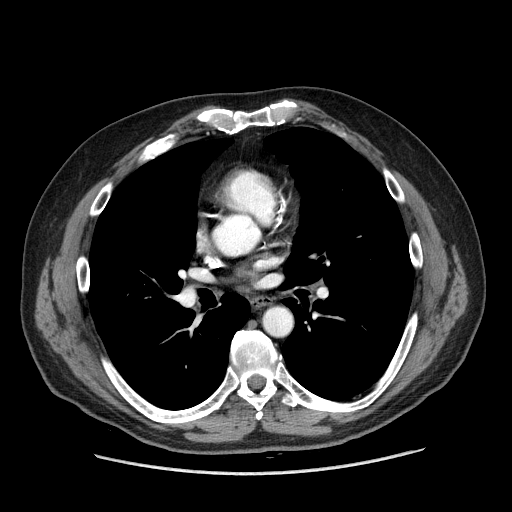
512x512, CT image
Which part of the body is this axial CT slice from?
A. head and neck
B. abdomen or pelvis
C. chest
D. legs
C. chest
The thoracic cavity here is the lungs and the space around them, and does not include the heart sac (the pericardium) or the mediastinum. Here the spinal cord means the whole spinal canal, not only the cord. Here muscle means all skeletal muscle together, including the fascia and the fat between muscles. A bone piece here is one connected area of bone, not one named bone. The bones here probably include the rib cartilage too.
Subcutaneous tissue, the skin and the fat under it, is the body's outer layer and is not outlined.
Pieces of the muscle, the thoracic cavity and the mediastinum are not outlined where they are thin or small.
{"muscle":[[[289,98],[316,105],[367,138],[432,207],[458,253],[466,276],[469,289],[466,311],[435,359],[413,382],[372,413],[328,434],[272,433],[258,426],[241,440],[195,442],[151,427],[107,403],[75,377],[36,327],[35,298],[46,257],[61,225],[103,172],[148,137],[206,105],[224,107],[204,108],[194,115],[198,122],[209,127],[180,140],[180,135],[173,131],[149,142],[136,158],[138,166],[114,188],[114,182],[108,180],[89,207],[89,216],[96,219],[88,255],[81,253],[75,261],[77,289],[86,294],[95,329],[107,354],[101,354],[99,360],[119,394],[148,419],[169,425],[205,417],[218,410],[233,394],[255,409],[254,417],[259,421],[264,414],[263,407],[280,388],[283,390],[280,402],[288,407],[299,405],[321,412],[349,413],[368,407],[385,391],[410,350],[419,321],[417,310],[409,316],[414,276],[415,270],[422,267],[424,257],[419,234],[413,230],[408,236],[404,225],[399,208],[406,202],[404,191],[386,166],[381,167],[380,173],[351,144],[349,134],[335,123],[289,121],[300,109],[299,104]]],"bones":[{"outer":[[414,311],[417,326],[397,373],[373,402],[349,412],[288,406],[280,387],[259,420],[256,409],[233,393],[200,418],[158,422],[120,394],[100,360],[107,356],[151,404],[182,410],[220,385],[235,333],[259,330],[304,388],[347,402],[365,395],[382,376]],"hole":[[253,375],[259,375],[260,376],[261,376],[262,377],[263,377],[265,380],[265,382],[264,383],[264,385],[260,389],[259,389],[258,390],[254,390],[253,389],[252,389],[251,388],[250,388],[248,385],[248,380],[249,379],[249,378],[250,378]]},[[284,98],[294,100],[298,104],[299,109],[291,119],[287,122],[279,125],[271,126],[253,125],[248,126],[235,133],[228,134],[221,130],[210,127],[205,123],[198,121],[195,118],[195,115],[204,109],[219,107],[250,112],[271,103],[277,102]],[[173,132],[176,132],[179,135],[179,140],[176,144],[176,145],[175,145],[167,151],[158,155],[153,159],[148,160],[141,165],[138,165],[138,163],[137,162],[137,158],[140,154],[141,151],[146,145],[154,141],[158,138],[163,137],[167,134],[169,134]],[[110,180],[111,180],[113,182],[113,190],[110,195],[110,197],[109,199],[107,201],[104,208],[99,214],[99,215],[96,218],[95,217],[91,217],[89,214],[89,211],[90,210],[90,207],[91,206],[91,204],[93,200],[95,198],[99,190],[108,181]],[[81,254],[83,254],[84,255],[85,255],[87,257],[87,258],[88,259],[88,264],[89,265],[89,289],[88,290],[88,291],[86,293],[81,293],[79,291],[79,290],[78,289],[78,283],[77,282],[77,274],[76,273],[76,261],[77,260],[77,258]],[[384,166],[386,167],[391,172],[391,173],[397,180],[399,185],[401,187],[403,191],[403,193],[404,194],[404,197],[405,198],[405,202],[401,204],[398,204],[392,197],[385,183],[384,178],[381,172],[382,167]],[[413,231],[415,231],[418,234],[419,240],[420,241],[420,244],[421,245],[422,256],[423,257],[423,260],[422,261],[422,265],[421,267],[418,269],[415,269],[413,267],[412,263],[411,262],[411,259],[410,258],[410,253],[409,252],[409,236],[411,232]],[[323,121],[326,121],[330,123],[333,123],[335,124],[340,129],[345,131],[348,134],[350,138],[349,139],[350,144],[339,136],[326,130],[324,128],[320,126],[319,125],[319,123]]],"pericardium":[[[239,162],[260,163],[283,171],[292,180],[293,185],[299,196],[300,212],[289,253],[283,262],[283,279],[275,288],[265,290],[263,292],[242,291],[218,281],[201,263],[195,252],[196,234],[198,228],[197,205],[200,190],[212,174],[229,164]]],"spinal_cord":[[[253,375],[259,375],[260,376],[261,376],[262,377],[263,377],[265,380],[265,382],[264,383],[264,385],[260,389],[259,389],[258,390],[254,390],[253,389],[252,389],[251,388],[250,388],[248,385],[248,380],[249,379],[249,378],[250,378]]],"torso":[[[296,85],[345,92],[391,115],[427,145],[463,194],[480,240],[486,299],[471,346],[453,376],[443,387],[389,424],[342,445],[233,455],[174,453],[144,444],[52,393],[28,349],[19,303],[27,226],[42,192],[63,162],[100,128],[166,100],[194,94]]],"thoracic_cavity":[[[317,125],[351,145],[381,174],[398,205],[414,269],[408,317],[388,365],[369,391],[347,401],[328,399],[304,387],[290,373],[281,353],[296,320],[282,302],[288,294],[278,287],[299,225],[301,196],[289,166],[263,142],[271,134],[294,126]],[[185,138],[186,142],[233,140],[199,177],[195,247],[189,265],[197,282],[222,295],[238,294],[248,302],[250,311],[246,322],[232,336],[228,364],[219,385],[199,403],[173,410],[141,396],[108,356],[89,307],[88,256],[96,220],[114,189],[139,166]]],"mediastinum":[[[194,252],[197,259],[213,278],[226,286],[249,293],[263,293],[277,287],[287,294],[281,302],[291,310],[295,324],[281,345],[280,351],[261,330],[242,328],[249,319],[251,311],[249,302],[243,296],[234,291],[219,293],[213,287],[196,280],[190,265]],[[300,121],[315,124],[315,127],[294,125],[271,133],[262,142],[268,152],[288,166],[294,185],[279,168],[255,161],[239,161],[212,173],[199,193],[202,173],[234,140],[231,137],[209,137],[186,141],[190,135],[208,128],[232,135],[248,127],[271,127]]]}